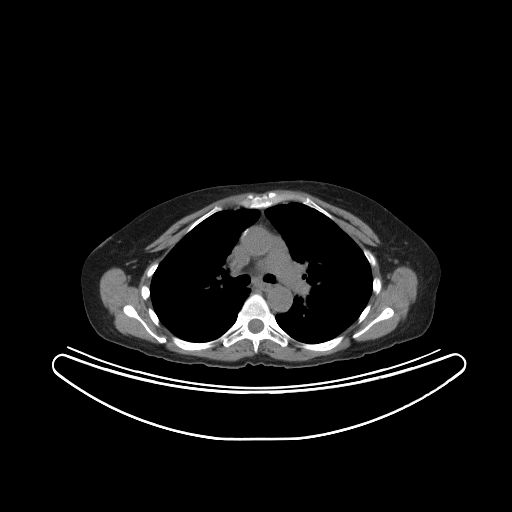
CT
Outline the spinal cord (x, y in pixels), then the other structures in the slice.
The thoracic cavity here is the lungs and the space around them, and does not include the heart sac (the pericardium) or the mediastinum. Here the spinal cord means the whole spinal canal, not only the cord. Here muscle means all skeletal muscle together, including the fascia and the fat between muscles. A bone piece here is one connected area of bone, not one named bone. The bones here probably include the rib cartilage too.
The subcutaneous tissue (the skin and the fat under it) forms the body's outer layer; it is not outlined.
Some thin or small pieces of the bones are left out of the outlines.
The spinal cord is outlined by 254 319; 257 319; 258 320; 260 320; 262 322; 262 323; 263 324; 263 327; 262 328; 262 329; 261 330; 260 330; 257 332; 253 332; 252 331; 251 331; 249 329; 249 328; 248 327; 248 324; 249 323; 249 322; 251 320; 253 320. The mediastinum is outlined by 263 208; 266 208; 264 211; 265 216; 280 234; 295 262; 295 289; 297 294; 293 298; 290 308; 283 313; 274 314; 261 294; 251 293; 249 295; 249 290; 240 283; 241 277; 236 275; 228 259; 241 233; 258 219; 260 216; 258 209. The muscle appears in 3 outlined pieces: piece 1: 267 191; 247 193; 243 197; 235 201; 236 208; 224 209; 216 204; 195 219; 161 261; 155 261; 148 267; 146 276; 149 286; 140 286; 141 297; 151 301; 152 307; 147 309; 150 319; 157 327; 162 324; 169 330; 170 339; 178 348; 200 351; 219 343; 227 348; 247 339; 254 355; 224 361; 181 354; 116 329; 99 292; 99 281; 106 270; 119 267; 130 276; 130 284; 137 285; 145 269; 158 255; 144 248; 172 224; 219 199; 246 192; inner edge: 126 304; 130 304; 132 306; 133 306; 138 315; 145 322; 145 323; 148 326; 148 327; 155 334; 159 336; 164 336; 166 338; 166 341; 164 343; 160 343; 145 329; 143 325; 137 319; 133 317; 130 317; 126 315; 123 311; 123 307; piece 2: 376 258; 384 278; 397 267; 407 266; 415 272; 418 280; 414 302; 405 318; 392 331; 375 339; 354 341; 345 349; 303 361; 280 360; 258 353; 259 345; 263 340; 270 340; 281 347; 286 347; 291 342; 299 348; 315 352; 328 351; 339 345; 344 339; 344 335; 341 334; 354 322; 361 323; 368 315; 372 306; 368 303; 372 293; 377 295; 382 288; 381 278; 372 275; 371 268; 376 265 with a hole at 385 307; 390 307; 393 309; 393 315; 391 317; 387 319; 380 320; 376 322; 374 324; 373 324; 366 331; 365 331; 357 337; 355 338; 353 338; 352 337; 352 335; 354 333; 361 330; 372 320; 373 320; 376 317; 377 317; piece 3: 276 189; 295 190; 308 193; 332 205; 346 210; 358 217; 372 229; 380 240; 380 243; 377 246; 372 246; 370 248; 375 256; 367 247; 361 248; 334 221; 335 217; 309 196; 304 196; 301 194; 292 193; 291 192; 276 192; 272 190. The thoracic cavity appears in 2 outlined pieces: piece 1: 288 202; 301 203; 335 222; 361 249; 370 266; 372 292; 366 305; 355 321; 340 334; 325 341; 313 343; 300 341; 286 332; 279 325; 275 316; 276 314; 286 313; 298 294; 296 289; 296 262; 286 242; 266 216; 265 211; 269 207; piece 2: 240 207; 257 209; 259 212; 257 219; 240 233; 227 257; 235 275; 240 277; 239 283; 248 290; 248 296; 238 311; 234 322; 219 336; 206 341; 189 341; 180 338; 161 323; 153 308; 150 298; 151 278; 162 260; 185 234; 217 212. The torso is outlined by 297 179; 333 183; 370 197; 409 226; 434 251; 440 263; 441 275; 433 317; 421 336; 357 359; 314 367; 287 369; 247 364; 230 369; 170 362; 112 343; 96 333; 85 313; 80 275; 86 257; 99 243; 145 210; 190 191; 217 185. The bones appear in 9 outlined pieces: piece 1: 251 294; 261 295; 278 325; 300 342; 320 343; 339 335; 343 339; 323 351; 305 349; 291 341; 281 346; 263 339; 255 353; 252 341; 247 338; 227 347; 219 342; 200 350; 182 349; 172 341; 173 335; 189 342; 219 337; 235 322; inner edge: 254 319; 257 319; 258 320; 260 320; 262 322; 262 323; 263 324; 263 327; 262 328; 262 329; 261 330; 260 330; 257 332; 253 332; 252 331; 251 331; 249 329; 249 328; 248 327; 248 324; 249 323; 249 322; 251 320; 253 320; piece 2: 271 191; 276 193; 291 193; 301 195; 304 197; 309 197; 319 206; 330 213; 334 217; 334 220; 331 219; 322 212; 298 201; 282 202; 262 208; 248 208; 238 206; 236 201; 243 198; 249 193; 253 195; 261 195; 266 194; piece 3: 126 304; 130 304; 132 306; 133 306; 138 315; 145 322; 145 323; 148 326; 148 327; 155 334; 159 336; 164 336; 166 338; 166 341; 164 343; 160 343; 145 329; 143 325; 137 319; 133 317; 130 317; 126 315; 123 311; 123 307; piece 4: 385 307; 390 307; 393 309; 393 315; 391 317; 387 319; 380 320; 376 322; 374 324; 373 324; 366 331; 365 331; 357 337; 355 338; 353 338; 352 337; 352 335; 354 333; 361 330; 372 320; 373 320; 376 317; 377 317; piece 5: 216 205; 221 205; 223 207; 223 209; 222 210; 220 210; 219 211; 217 211; 213 213; 211 215; 208 216; 206 218; 202 220; 199 223; 198 223; 188 232; 186 233; 185 232; 187 228; 191 223; 192 223; 195 220; 205 214; piece 6: 363 248; 367 248; 372 253; 372 254; 375 257; 375 260; 376 261; 376 263; 375 264; 375 265; 373 267; 371 267; 371 266; 370 265; 370 264; 369 263; 369 262; 368 261; 367 258; 365 256; 365 255; 362 250; 362 249; piece 7: 150 307; 151 307; 153 309; 153 310; 155 312; 155 313; 156 314; 156 315; 157 316; 157 317; 160 322; 160 324; 159 325; 159 326; 157 326; 153 322; 153 321; 151 319; 151 318; 148 313; 148 309; piece 8: 367 304; 370 304; 371 305; 371 306; 370 307; 370 309; 369 310; 367 315; 362 320; 362 321; 361 322; 358 323; 357 322; 357 319; 358 318; 358 317; 360 315; 360 314; 362 312; 362 311; 364 309; 364 308; 367 305; piece 9: 155 262; 156 262; 157 263; 158 263; 158 265; 157 266; 157 267; 156 268; 156 269; 154 271; 154 272; 153 273; 153 274; 151 276; 151 277; 150 278; 147 276; 147 271; 148 270; 148 269; 149 268; 149 267; 152 264; 153 264.